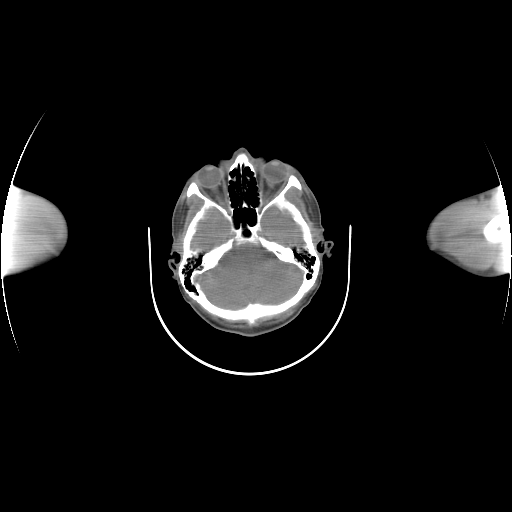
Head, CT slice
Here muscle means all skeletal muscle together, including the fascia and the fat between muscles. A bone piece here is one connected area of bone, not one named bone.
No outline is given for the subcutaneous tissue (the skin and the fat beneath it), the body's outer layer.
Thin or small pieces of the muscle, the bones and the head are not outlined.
{"right_arm":[[[14,187],[18,187],[22,190],[25,189],[31,191],[43,196],[53,202],[61,210],[67,221],[69,228],[69,240],[63,253],[57,259],[46,265],[37,269],[16,275],[7,274],[3,275],[0,265],[0,233],[2,229],[3,215],[7,197],[9,191]]],"left_arm":[[[499,186],[499,189],[502,191],[504,196],[508,222],[511,232],[511,277],[510,278],[510,275],[507,272],[502,273],[501,275],[496,277],[479,277],[472,275],[462,271],[428,250],[425,244],[426,228],[430,220],[438,211],[446,205],[460,198],[491,187]]],"bones":[{"outer":[[290,174],[297,177],[301,190],[292,186],[285,197],[308,223],[318,250],[320,264],[314,284],[296,304],[272,316],[260,317],[253,324],[208,312],[185,292],[178,275],[184,233],[203,204],[195,194],[187,197],[189,184],[194,181],[205,196],[222,205],[226,203],[228,190],[235,225],[246,222],[251,225],[256,221],[256,212],[251,207],[240,206],[242,201],[253,207],[258,204],[256,184],[264,199],[269,200],[284,187]],"holes":[[[246,243],[250,243],[255,246],[259,245],[281,262],[291,264],[301,272],[301,281],[296,290],[289,297],[276,303],[264,303],[259,301],[248,302],[237,308],[220,306],[209,299],[202,289],[198,278],[205,272],[216,267],[222,257],[235,246],[238,247]],[[272,207],[275,207],[281,212],[284,212],[285,211],[289,214],[291,219],[299,228],[300,236],[302,241],[301,244],[298,244],[297,243],[287,243],[284,244],[276,240],[269,239],[264,235],[260,234],[260,232],[263,229],[262,227],[262,218],[266,212]],[[211,209],[214,209],[219,212],[227,221],[229,225],[229,231],[232,235],[228,237],[227,239],[223,242],[217,245],[215,245],[206,250],[203,249],[203,248],[200,246],[192,247],[192,241],[197,232],[198,224],[200,221],[205,218],[206,214],[208,211]]]},[[502,212],[507,212],[507,215],[508,216],[508,222],[509,223],[509,227],[510,228],[510,234],[508,237],[508,241],[507,242],[500,243],[499,244],[488,244],[486,242],[482,234],[482,227],[483,225],[485,224],[490,218],[494,216],[496,216]],[[241,152],[244,152],[248,156],[255,168],[256,175],[255,179],[250,169],[245,167],[243,169],[243,175],[239,178],[243,180],[245,174],[250,177],[247,182],[247,191],[238,193],[242,186],[241,184],[231,180],[229,185],[227,175],[229,166],[237,154]]],"brain":[[[246,243],[250,243],[255,246],[259,245],[281,262],[291,264],[301,272],[301,281],[296,290],[289,297],[276,303],[264,303],[259,301],[248,302],[237,308],[220,306],[209,299],[202,289],[198,278],[205,272],[216,267],[222,257],[235,246],[238,247]],[[272,207],[275,207],[281,212],[284,212],[285,211],[289,214],[291,219],[299,228],[300,236],[302,241],[301,244],[298,244],[297,243],[287,243],[284,244],[276,240],[269,239],[264,235],[260,234],[260,232],[263,229],[262,227],[262,218],[266,212]],[[211,209],[214,209],[219,212],[227,221],[229,225],[229,231],[232,235],[228,237],[227,239],[223,242],[217,245],[215,245],[206,250],[203,249],[203,248],[200,246],[192,247],[192,241],[197,232],[198,224],[200,221],[205,218],[206,214],[208,211]]],"muscle":[[[499,186],[499,189],[504,196],[507,211],[502,211],[490,217],[482,225],[481,234],[488,245],[499,245],[509,241],[511,232],[511,274],[508,272],[495,273],[468,268],[452,256],[432,247],[429,240],[429,232],[435,220],[443,212],[459,202],[478,197]],[[9,191],[18,193],[22,195],[25,195],[31,198],[50,218],[56,228],[56,236],[48,249],[34,257],[25,260],[20,260],[19,261],[14,261],[13,262],[8,262],[0,258],[0,233],[2,229],[3,215],[4,214],[5,205],[6,204],[6,201]],[[300,180],[301,180],[303,183],[310,197],[313,212],[315,216],[315,221],[319,230],[319,235],[316,243],[313,241],[313,236],[311,231],[311,227],[309,223],[304,218],[299,208],[293,202],[286,197],[287,192],[292,187],[299,191],[302,190],[302,184]],[[316,280],[316,283],[314,287],[307,294],[295,310],[286,318],[281,321],[272,323],[268,325],[261,325],[260,326],[255,326],[249,328],[231,327],[227,325],[221,324],[212,319],[200,309],[191,299],[195,301],[208,313],[214,316],[228,321],[240,321],[242,320],[247,322],[250,325],[253,325],[260,318],[263,318],[264,317],[268,317],[269,318],[272,317],[275,315],[280,314],[291,307],[296,305],[313,287],[316,282]],[[185,191],[185,195],[187,198],[189,198],[192,195],[195,195],[202,200],[202,204],[194,213],[183,233],[182,246],[181,247],[182,249],[181,252],[180,252],[177,248],[176,239],[177,238],[177,231],[178,230],[178,217],[179,216],[180,204],[183,194]]],"head":[{"outer":[[241,146],[253,156],[278,158],[298,167],[317,199],[324,237],[334,242],[332,256],[323,257],[321,285],[309,304],[289,323],[256,336],[231,333],[208,324],[184,301],[167,265],[172,242],[172,212],[186,177],[204,164],[214,164],[219,159],[228,158]],"hole":[[245,168],[249,169],[255,180],[258,202],[253,206],[244,199],[241,201],[240,207],[254,210],[255,221],[251,224],[246,221],[236,225],[235,209],[228,188],[232,181],[241,186],[238,194],[248,191],[251,177],[245,173],[244,178],[240,178],[244,175]]}]}